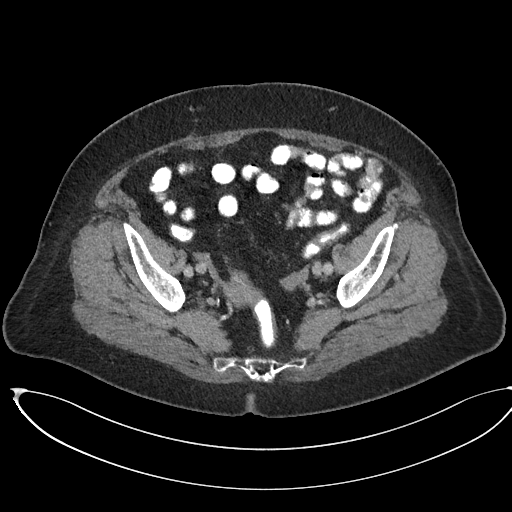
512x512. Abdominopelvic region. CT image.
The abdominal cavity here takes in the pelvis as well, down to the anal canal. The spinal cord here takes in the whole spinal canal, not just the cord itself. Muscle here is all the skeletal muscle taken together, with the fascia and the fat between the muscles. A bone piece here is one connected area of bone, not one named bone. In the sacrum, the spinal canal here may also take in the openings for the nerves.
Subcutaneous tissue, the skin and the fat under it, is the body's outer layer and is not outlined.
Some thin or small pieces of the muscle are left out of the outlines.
Outlines:
abdominal cavity: 260 132; 325 150; 371 154; 398 178; 386 192; 378 216; 352 239; 333 246; 337 279; 333 300; 305 313; 290 340; 273 356; 246 350; 187 298; 179 280; 186 252; 156 235; 142 220; 136 201; 119 186; 127 172; 148 157; 226 148
torso: 273 81; 322 86; 362 99; 400 121; 435 152; 454 181; 466 236; 503 302; 506 322; 500 344; 378 399; 275 418; 172 406; 61 362; 12 351; 3 338; 3 314; 35 252; 58 185; 78 152; 120 117; 164 96; 211 85
muscle: 263 127; 311 130; 352 141; 385 154; 410 175; 447 252; 441 286; 448 304; 435 331; 315 381; 268 383; 285 369; 306 366; 304 355; 284 362; 271 357; 288 344; 305 314; 331 303; 335 295; 342 308; 353 307; 382 274; 397 221; 377 232; 359 263; 338 281; 332 250; 379 216; 387 192; 399 178; 371 153; 325 149; 260 131; 226 147; 148 156; 134 164; 118 186; 135 201; 152 232; 186 254; 176 277; 124 220; 130 257; 145 288; 170 313; 187 299; 254 355; 215 356; 211 360; 215 371; 241 363; 239 368; 252 381; 263 382; 199 381; 87 333; 73 317; 68 258; 71 242; 90 216; 102 185; 129 161; 173 140
spinal cord: 261 368; 262 368; 263 368; 264 368; 265 368; 266 368; 266 369; 266 370; 265 371; 264 372; 263 372; 262 372; 261 373; 260 372; 259 372; 258 371; 258 370; 258 369; 259 369; 260 369
bones 1: 124 221; 126 221; 129 223; 140 234; 144 240; 145 244; 151 255; 161 267; 177 278; 180 282; 181 286; 185 293; 186 298; 181 308; 177 311; 170 312; 164 308; 153 297; 140 279; 132 260; 129 246; 125 236; 123 228; 123 222
bones 2: 394 222; 397 222; 398 226; 394 232; 394 235; 391 243; 390 251; 387 258; 387 261; 381 274; 369 291; 358 302; 353 306; 348 308; 342 307; 336 298; 336 289; 340 278; 345 273; 360 263; 369 250; 378 232; 384 227; 390 225
bones 3: 234 355; 241 358; 247 356; 270 357; 281 363; 304 356; 307 361; 302 369; 294 367; 285 368; 278 372; 270 381; 264 382; 261 380; 252 380; 240 368; 241 362; 237 362; 235 366; 228 367; 222 372; 215 370; 212 363; 213 358